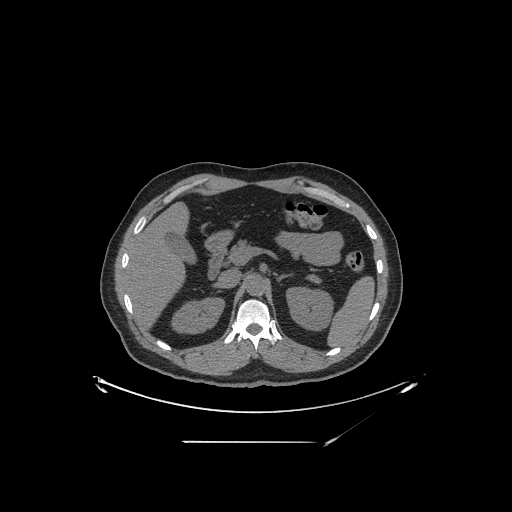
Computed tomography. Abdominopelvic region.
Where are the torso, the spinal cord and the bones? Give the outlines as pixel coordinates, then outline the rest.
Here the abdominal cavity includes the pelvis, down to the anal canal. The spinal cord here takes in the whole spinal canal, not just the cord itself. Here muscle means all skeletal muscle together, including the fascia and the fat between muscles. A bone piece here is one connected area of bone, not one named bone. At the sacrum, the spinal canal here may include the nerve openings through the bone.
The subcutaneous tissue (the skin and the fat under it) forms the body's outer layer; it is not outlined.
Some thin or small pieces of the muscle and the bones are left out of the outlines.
Outlines (x, y in pixels):
torso: [[200,161],[242,167],[261,167],[288,161],[319,163],[346,173],[369,194],[397,239],[403,292],[399,310],[385,339],[362,364],[322,381],[238,388],[175,379],[149,369],[129,356],[100,298],[100,272],[107,244],[133,198],[151,178],[180,165]]
spinal cord: [[251,324],[257,324],[259,326],[260,326],[261,327],[261,329],[260,330],[260,331],[259,332],[258,332],[256,334],[251,334],[247,330],[247,327],[249,325],[250,325]]
bones 1: [[249,298],[255,298],[267,304],[270,315],[276,322],[276,328],[282,336],[281,340],[278,339],[272,344],[267,339],[261,338],[257,350],[255,350],[252,342],[247,338],[239,342],[235,338],[228,343],[223,342],[232,329],[231,325],[236,317],[238,306]], around a hole outlined by [[251,324],[257,324],[259,326],[260,326],[261,327],[261,329],[260,330],[260,331],[259,332],[258,332],[256,334],[251,334],[247,330],[247,327],[249,325],[250,325]]
bones 2: [[303,185],[305,186],[310,186],[311,187],[317,187],[318,188],[324,189],[341,198],[343,200],[348,202],[350,204],[350,206],[348,208],[340,208],[335,205],[331,201],[327,199],[322,199],[319,197],[317,197],[313,195],[310,195],[302,189]]
bones 3: [[203,178],[205,179],[205,180],[202,183],[198,185],[193,186],[189,188],[187,190],[180,193],[171,201],[165,204],[163,202],[163,198],[166,195],[167,195],[170,192],[171,192],[176,188],[182,185],[190,183],[195,180],[197,180],[198,179],[202,179]]
bones 4: [[143,215],[145,215],[146,216],[146,217],[147,218],[147,222],[145,224],[145,225],[143,227],[143,228],[137,234],[134,234],[133,233],[133,230],[134,229],[134,227],[135,226],[136,223],[138,221],[139,218],[141,216],[142,216]]
bones 5: [[125,293],[127,293],[128,294],[128,295],[129,296],[129,298],[131,301],[131,303],[132,304],[132,308],[133,309],[133,313],[132,314],[131,313],[130,313],[127,310],[127,309],[125,306],[125,303],[124,302],[124,299],[123,298],[123,295]]
bones 6: [[376,301],[377,301],[379,303],[379,308],[378,309],[378,310],[377,311],[377,312],[376,313],[376,314],[374,316],[374,317],[371,320],[368,320],[368,317],[370,314],[370,312],[372,309],[372,307],[373,306],[373,305],[374,304],[374,303]]
bones 7: [[366,224],[368,224],[369,225],[370,225],[370,226],[374,230],[374,231],[376,233],[376,235],[377,236],[377,237],[376,238],[376,239],[371,239],[369,237],[369,236],[367,234],[367,233],[366,232]]
bones 8: [[157,339],[159,339],[160,340],[161,340],[162,341],[163,341],[164,342],[165,342],[167,344],[168,344],[172,348],[170,350],[165,350],[164,349],[163,349],[161,347],[160,347],[158,345],[157,345],[155,343],[155,341]]
bones 9: [[125,252],[126,252],[129,255],[129,259],[128,260],[128,262],[127,263],[127,266],[125,268],[123,268],[121,266],[121,259],[122,258],[122,255]]
bones 10: [[377,259],[380,259],[381,260],[381,261],[382,262],[382,264],[383,265],[383,269],[382,270],[382,271],[381,272],[381,273],[380,273],[379,274],[378,274],[377,273],[377,272],[376,271],[376,260]]
bones 11: [[336,347],[340,347],[341,348],[341,349],[340,350],[340,351],[339,352],[338,352],[336,354],[334,354],[333,355],[325,355],[325,353],[328,350],[329,350],[330,349],[331,349],[332,348],[335,348]]
muscle: [[200,173],[209,173],[210,174],[214,174],[215,175],[228,177],[229,178],[240,179],[245,181],[259,181],[260,180],[269,180],[270,179],[281,179],[282,178],[287,178],[297,175],[305,176],[308,178],[313,179],[316,181],[328,185],[343,195],[345,195],[364,209],[374,222],[383,239],[384,246],[386,250],[386,257],[387,258],[387,263],[389,269],[388,270],[388,291],[387,292],[387,297],[386,298],[386,302],[384,305],[378,322],[378,325],[371,337],[361,347],[358,348],[344,359],[338,361],[323,369],[320,369],[315,371],[296,372],[295,373],[287,372],[281,369],[273,367],[263,362],[261,360],[256,359],[255,360],[252,360],[245,366],[235,370],[229,375],[210,375],[209,374],[203,374],[198,372],[193,372],[182,368],[155,352],[144,348],[136,340],[135,336],[128,326],[127,319],[119,304],[119,302],[117,299],[116,292],[114,288],[115,286],[115,282],[114,281],[114,264],[115,263],[116,256],[118,253],[118,250],[120,247],[120,244],[123,240],[123,236],[138,211],[150,200],[178,181],[186,177]] with a hole at [[203,178],[202,183],[179,196],[212,195],[249,185],[306,195],[309,194],[302,189],[303,185],[321,188],[348,202],[350,206],[341,209],[353,215],[364,230],[366,224],[374,230],[377,237],[371,240],[373,258],[380,259],[383,265],[381,273],[376,274],[375,300],[379,308],[339,352],[325,355],[326,350],[300,343],[286,335],[277,322],[275,325],[282,339],[273,344],[261,338],[255,350],[247,338],[224,343],[232,329],[232,318],[223,334],[213,341],[165,350],[155,343],[157,338],[140,323],[136,314],[127,310],[123,298],[128,292],[127,269],[121,266],[121,259],[125,252],[130,254],[138,237],[133,233],[136,223],[143,215],[149,221],[165,205],[163,198],[170,192]]
abdominal cavity: [[249,185],[323,200],[353,215],[365,230],[375,261],[375,301],[357,335],[345,345],[324,350],[294,340],[272,317],[268,304],[255,297],[237,306],[233,321],[217,339],[184,348],[157,338],[138,320],[126,268],[134,242],[148,221],[178,196],[212,195]]